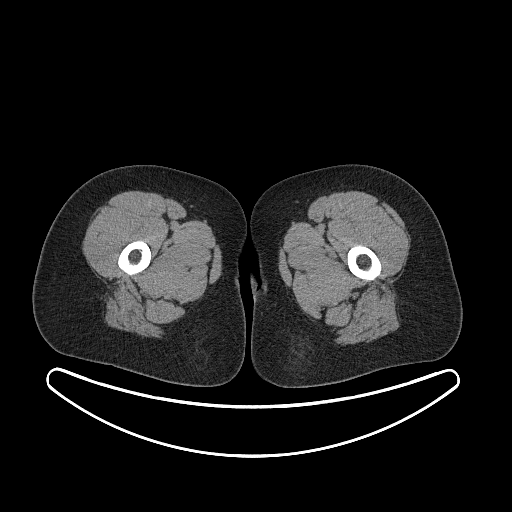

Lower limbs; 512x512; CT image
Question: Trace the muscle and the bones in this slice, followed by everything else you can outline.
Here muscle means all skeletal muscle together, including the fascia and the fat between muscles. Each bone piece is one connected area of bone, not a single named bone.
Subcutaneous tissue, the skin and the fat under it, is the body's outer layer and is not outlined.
Answer: {"muscle":[{"outer":[[347,190],[364,191],[385,201],[404,221],[411,240],[406,264],[399,279],[398,289],[396,292],[401,315],[399,328],[371,342],[341,350],[324,337],[302,312],[295,300],[289,296],[279,273],[278,252],[282,245],[283,236],[291,222],[314,199],[335,191]],"hole":[[356,244],[361,244],[371,249],[376,254],[376,255],[378,257],[381,263],[381,270],[380,271],[380,273],[379,275],[372,280],[365,280],[364,279],[359,278],[357,276],[353,274],[350,271],[348,267],[348,265],[347,264],[347,253],[349,249],[352,246]]},{"outer":[[127,190],[156,192],[178,201],[200,220],[205,219],[207,221],[221,250],[221,275],[211,290],[173,329],[169,331],[166,339],[141,337],[110,327],[104,322],[102,317],[102,289],[100,280],[95,276],[82,253],[81,246],[85,231],[95,210],[113,195]],"hole":[[135,240],[142,240],[148,245],[148,246],[150,248],[150,251],[151,252],[151,259],[147,267],[146,267],[140,272],[138,272],[137,273],[135,273],[134,274],[130,275],[126,273],[119,267],[118,265],[118,257],[122,249],[128,243],[132,241],[134,241]]}],"bones":[[[356,244],[361,244],[371,249],[376,254],[376,255],[378,257],[381,263],[381,270],[380,271],[380,273],[379,275],[372,280],[365,280],[364,279],[359,278],[357,276],[353,274],[350,271],[348,267],[348,265],[347,264],[347,253],[349,249],[352,246]],[[135,240],[142,240],[148,245],[148,246],[150,248],[150,251],[151,252],[151,259],[147,267],[146,267],[140,272],[138,272],[137,273],[135,273],[134,274],[130,275],[126,273],[119,267],[118,265],[118,257],[122,249],[128,243],[132,241],[134,241]]],"right_leg":[[[133,164],[162,165],[208,178],[229,190],[243,209],[247,233],[239,260],[239,284],[246,320],[245,354],[238,373],[225,384],[198,387],[170,383],[112,365],[64,355],[54,350],[37,328],[32,310],[32,287],[40,251],[55,216],[85,181],[108,169]]],"left_leg":[[[347,163],[372,165],[400,176],[431,206],[443,230],[460,292],[461,330],[452,349],[434,361],[389,367],[332,384],[280,387],[260,378],[251,362],[253,295],[250,274],[252,272],[258,277],[258,263],[249,229],[251,212],[261,194],[278,181],[302,172]]]}